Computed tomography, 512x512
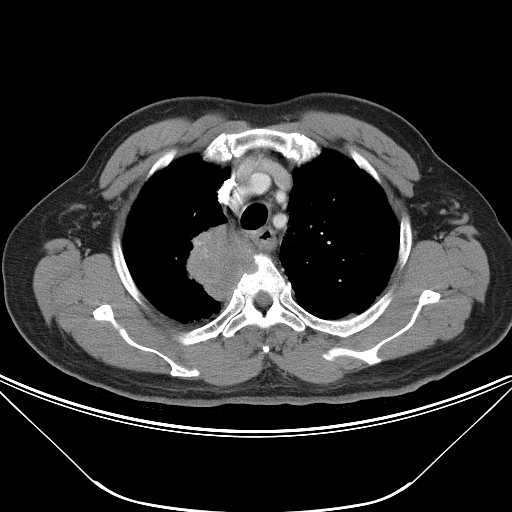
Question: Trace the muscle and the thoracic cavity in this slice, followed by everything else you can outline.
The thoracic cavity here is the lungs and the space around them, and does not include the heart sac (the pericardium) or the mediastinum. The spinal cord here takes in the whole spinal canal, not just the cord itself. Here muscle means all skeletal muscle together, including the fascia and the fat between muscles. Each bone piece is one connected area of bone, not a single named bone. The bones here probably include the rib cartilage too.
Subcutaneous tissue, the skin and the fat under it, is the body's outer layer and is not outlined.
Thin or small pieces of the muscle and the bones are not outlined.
Answer: {"muscle":[{"outer":[[311,108],[344,113],[384,132],[415,161],[421,175],[417,198],[424,208],[440,220],[472,225],[481,233],[489,283],[484,302],[463,334],[382,361],[378,355],[380,347],[408,330],[423,306],[440,300],[438,291],[425,288],[408,322],[392,334],[366,349],[333,346],[321,354],[328,361],[341,356],[353,357],[370,365],[365,368],[325,385],[285,373],[266,358],[257,376],[220,387],[203,380],[178,377],[197,377],[200,371],[133,340],[116,320],[108,303],[94,308],[93,318],[109,322],[129,345],[163,359],[170,367],[169,374],[108,365],[48,327],[33,291],[36,255],[45,242],[72,234],[92,219],[100,204],[101,172],[127,137],[166,118],[196,119],[213,110],[263,126]],"holes":[[[255,127],[298,132],[322,150],[348,157],[350,148],[361,154],[377,172],[397,220],[404,211],[409,215],[409,254],[375,298],[393,287],[390,303],[350,335],[308,326],[296,331],[280,322],[267,330],[249,324],[230,337],[219,333],[184,345],[174,335],[200,324],[175,320],[146,298],[146,307],[136,301],[114,265],[112,234],[116,227],[122,241],[131,207],[164,152],[176,148],[176,158],[201,154],[219,134]],[[266,343],[267,344],[268,345],[269,346],[269,347],[269,348],[269,349],[269,350],[268,351],[267,352],[266,352],[265,352],[264,352],[263,351],[263,350],[262,349],[262,348],[262,347],[263,346],[263,345],[264,344],[265,344]]]}],"thoracic_cavity":[[[323,149],[331,149],[349,157],[381,186],[399,222],[397,257],[385,287],[366,309],[350,317],[337,319],[319,317],[307,311],[296,301],[291,282],[280,270],[279,259],[282,241],[289,227],[288,203],[290,192],[294,186],[293,173],[300,166],[319,156]],[[189,154],[200,154],[204,162],[230,170],[229,177],[221,182],[215,192],[226,221],[243,244],[249,259],[249,263],[238,279],[225,307],[214,318],[202,325],[197,322],[182,323],[159,311],[146,298],[134,281],[122,247],[128,214],[144,183],[174,159]]],"torso":[[[314,91],[359,96],[397,112],[489,202],[511,236],[511,328],[497,345],[442,379],[396,397],[211,407],[135,400],[84,383],[38,355],[15,327],[5,305],[1,269],[4,244],[18,220],[82,166],[114,123],[137,108],[174,96],[213,95],[271,103]]],"bones":[{"outer":[[259,253],[269,256],[290,282],[295,301],[319,318],[350,318],[366,310],[392,287],[392,299],[371,324],[344,337],[308,326],[296,331],[280,322],[267,330],[249,324],[230,337],[219,333],[215,337],[184,345],[174,335],[214,319],[230,301],[252,256]],"hole":[[260,291],[263,291],[264,292],[265,292],[266,293],[267,293],[269,295],[269,296],[270,297],[270,298],[271,299],[271,303],[270,304],[270,305],[267,308],[266,308],[265,309],[261,309],[260,308],[258,308],[255,305],[255,297],[256,296],[256,295]]},[[255,127],[266,127],[289,133],[298,132],[313,140],[321,148],[321,152],[315,158],[299,166],[291,160],[288,160],[279,152],[262,147],[248,149],[240,156],[233,157],[221,164],[206,162],[202,159],[201,154],[212,140],[219,134],[223,132],[238,133]],[[425,289],[438,292],[440,294],[439,300],[423,305],[408,329],[379,347],[377,355],[381,359],[380,362],[371,365],[348,355],[337,356],[333,360],[328,360],[322,356],[333,347],[343,347],[356,351],[366,350],[392,335],[409,322],[417,306],[419,296]],[[102,304],[108,304],[111,307],[115,320],[125,329],[133,341],[145,347],[155,349],[177,364],[189,369],[196,368],[199,371],[199,374],[197,376],[170,375],[171,367],[163,358],[154,352],[143,350],[129,344],[109,321],[96,320],[94,318],[92,312]],[[116,227],[121,242],[122,252],[123,253],[123,256],[126,265],[133,281],[138,289],[145,297],[144,303],[146,307],[144,307],[138,303],[128,292],[120,279],[120,277],[114,265],[114,261],[112,257],[112,252],[111,251],[111,240],[112,239],[113,231]],[[404,211],[407,212],[410,218],[411,228],[412,229],[412,242],[411,243],[411,247],[410,248],[409,254],[407,257],[407,259],[403,267],[401,269],[399,269],[398,267],[396,266],[396,262],[398,257],[399,240],[400,239],[400,220],[402,217],[402,214]],[[350,148],[353,148],[355,150],[356,150],[360,154],[361,154],[371,164],[371,165],[375,169],[375,170],[377,172],[377,173],[378,174],[378,175],[381,180],[381,185],[380,185],[367,172],[366,172],[363,169],[360,168],[356,164],[356,163],[350,157]],[[172,148],[176,148],[177,149],[177,152],[176,153],[176,155],[175,157],[165,167],[161,169],[159,169],[157,170],[147,180],[146,180],[146,176],[149,170],[151,168],[152,165],[156,161],[156,160],[160,156],[161,156],[162,154],[164,153],[164,152]]],"spinal_cord":[[[260,291],[263,291],[264,292],[265,292],[266,293],[267,293],[269,295],[269,296],[270,297],[270,298],[271,299],[271,303],[270,304],[270,305],[267,308],[266,308],[265,309],[261,309],[260,308],[258,308],[255,305],[255,297],[256,296],[256,295]]],"mediastinum":[[[256,148],[268,149],[279,153],[298,167],[292,173],[293,186],[289,192],[287,203],[289,220],[279,248],[279,267],[269,255],[262,252],[254,253],[250,262],[244,244],[222,211],[216,192],[222,182],[227,180],[231,174],[231,170],[228,167],[219,165]]]}